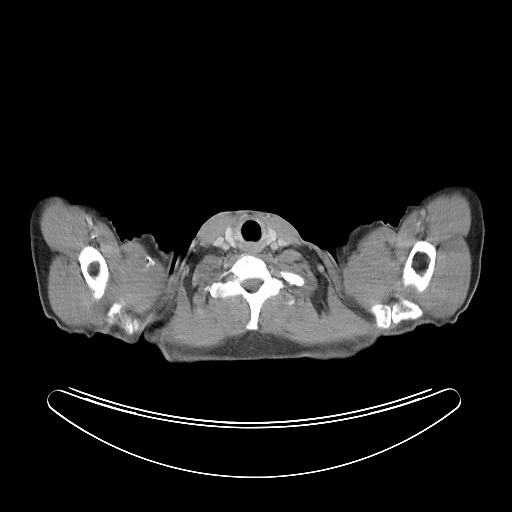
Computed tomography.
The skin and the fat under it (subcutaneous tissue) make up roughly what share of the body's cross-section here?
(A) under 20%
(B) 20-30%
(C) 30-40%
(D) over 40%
(B) 20-30%
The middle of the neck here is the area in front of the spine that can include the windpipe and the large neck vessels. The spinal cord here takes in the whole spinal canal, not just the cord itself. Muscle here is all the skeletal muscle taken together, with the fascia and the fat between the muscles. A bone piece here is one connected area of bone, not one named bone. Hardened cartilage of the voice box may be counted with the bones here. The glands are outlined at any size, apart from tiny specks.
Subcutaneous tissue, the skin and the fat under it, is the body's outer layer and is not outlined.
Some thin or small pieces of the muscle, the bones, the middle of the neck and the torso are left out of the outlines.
The middle of the neck is outlined by 244 216; 255 216; 261 219; 267 225; 264 244; 268 246; 276 240; 278 248; 271 251; 262 251; 259 253; 252 254; 241 251; 222 249; 220 247; 225 242; 225 238; 226 241; 232 247; 238 247; 234 241; 231 229; 232 226; 240 218. The muscle is outlined by 453 191; 472 214; 463 302; 448 317; 420 318; 410 289; 429 286; 437 249; 418 239; 397 300; 366 309; 380 330; 358 342; 304 346; 247 332; 208 350; 174 349; 148 335; 169 319; 162 308; 129 336; 123 330; 141 322; 121 299; 109 326; 95 329; 68 326; 49 301; 52 253; 39 217; 51 198; 92 212; 120 244; 144 243; 177 285; 220 214; 276 216; 337 268; 370 230; 397 231; inner edges: 244 216; 255 216; 277 232; 277 249; 252 254; 268 266; 296 273; 304 279; 301 286; 287 285; 263 302; 255 330; 246 328; 251 312; 249 304; 240 294; 213 297; 204 289; 229 269; 242 253; 220 247; 225 242; 226 228, then 86 245; 91 245; 95 247; 101 253; 106 262; 107 268; 109 272; 109 279; 107 282; 107 285; 104 294; 103 296; 98 300; 95 300; 93 299; 92 297; 92 291; 86 283; 78 259; 78 255; 80 251; 82 248, then 291 297; 292 298; 293 298; 294 299; 294 300; 294 301; 294 302; 293 303; 292 304; 291 304; 290 305; 289 304; 288 304; 287 304; 286 303; 286 302; 286 301; 287 300; 288 300; 289 299; 290 298. The right arm is outlined by 50 191; 62 192; 76 200; 90 203; 111 219; 122 240; 138 236; 143 232; 150 232; 162 249; 170 247; 173 249; 170 275; 134 345; 101 333; 96 334; 91 339; 83 335; 71 335; 61 330; 44 314; 31 256; 28 222; 34 203. The torso is outlined by 329 252; 337 262; 349 298; 353 302; 394 323; 415 327; 409 333; 381 337; 375 345; 353 358; 327 361; 299 358; 174 365; 168 363; 142 337; 136 343; 169 278; 190 307; 214 326; 247 337; 289 333; 309 322; 316 315; 324 288. The bones appear in 4 outlined pieces: piece 1: 242 253; 254 255; 263 260; 268 266; 296 273; 304 279; 304 283; 301 286; 287 285; 276 295; 268 297; 263 302; 259 310; 258 327; 255 330; 246 328; 251 312; 249 304; 240 294; 213 297; 204 289; 229 269, around a hole outlined by 253 278; 257 278; 258 279; 260 279; 262 281; 262 283; 260 285; 260 286; 256 291; 255 291; 254 292; 250 292; 249 291; 248 291; 247 290; 246 290; 241 285; 241 283; 242 282; 242 281; 243 281; 246 279; 252 279; piece 2: 423 239; 432 243; 436 249; 433 273; 423 292; 417 293; 413 287; 409 289; 411 298; 422 310; 422 315; 417 319; 392 323; 386 329; 378 329; 374 317; 367 309; 375 302; 392 305; 398 300; 395 295; 401 285; 404 264; 415 242; piece 3: 86 245; 91 245; 95 247; 101 253; 106 262; 107 268; 109 272; 109 279; 107 282; 107 285; 104 294; 103 296; 98 300; 95 300; 93 299; 92 297; 92 291; 86 283; 78 259; 78 255; 80 251; 82 248; piece 4: 121 300; 123 302; 123 310; 129 316; 133 318; 137 318; 140 322; 140 329; 137 331; 135 331; 132 334; 128 334; 121 327; 120 327; 116 324; 109 325; 105 320; 105 318; 107 315; 107 312; 111 305; 114 302; 116 301; 120 301. The left arm is outlined by 450 183; 463 183; 475 189; 481 199; 484 211; 485 233; 480 277; 467 308; 452 324; 443 327; 434 325; 416 327; 394 322; 353 301; 334 255; 336 244; 343 242; 349 231; 361 223; 381 219; 395 226; 407 205; 415 203; 431 190. The head and neck is outlined by 242 208; 263 210; 277 214; 292 224; 302 238; 323 247; 328 251; 323 288; 315 315; 309 321; 289 332; 262 336; 247 336; 224 327; 214 325; 191 307; 170 278; 177 256; 180 252; 183 254; 186 252; 200 226; 210 216; 218 212. The thyroid glands appear in 2 outlined pieces: piece 1: 268 228; 272 228; 274 230; 275 230; 277 232; 277 233; 276 234; 276 235; 277 236; 277 237; 276 238; 276 239; 272 243; 271 243; 268 245; 266 245; 265 244; 265 241; 266 240; 266 236; 267 235; 267 230; 268 229; piece 2: 228 227; 231 227; 231 228; 230 229; 230 233; 232 236; 232 238; 233 239; 233 241; 235 243; 235 244; 237 246; 237 247; 234 247; 233 246; 232 246; 227 241; 227 240; 225 237; 225 231; 226 230; 226 228; 227 228. The spinal cord is outlined by 253 278; 257 278; 258 279; 260 279; 262 281; 262 283; 260 285; 260 286; 256 291; 255 291; 254 292; 250 292; 249 291; 248 291; 247 290; 246 290; 241 285; 241 283; 242 282; 242 281; 243 281; 246 279; 252 279.